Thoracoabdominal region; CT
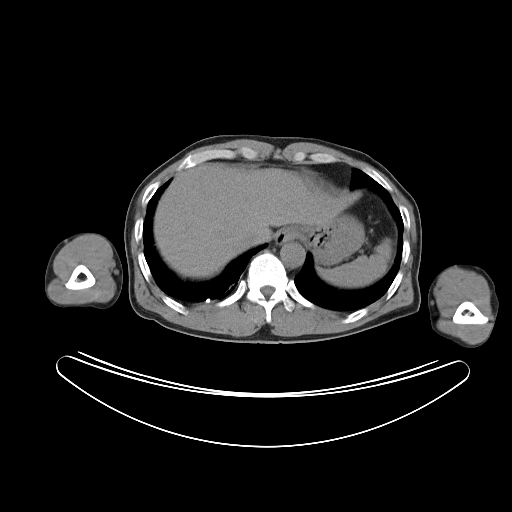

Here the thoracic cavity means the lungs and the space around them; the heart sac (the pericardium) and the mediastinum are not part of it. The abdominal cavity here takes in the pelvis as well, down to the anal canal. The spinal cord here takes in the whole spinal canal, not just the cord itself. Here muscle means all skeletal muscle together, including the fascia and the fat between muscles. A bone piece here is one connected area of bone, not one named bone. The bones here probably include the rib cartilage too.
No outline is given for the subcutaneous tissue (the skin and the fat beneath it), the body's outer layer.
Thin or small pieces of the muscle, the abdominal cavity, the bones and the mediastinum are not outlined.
The mediastinum appears in 2 outlined pieces: piece 1: 282,232 286,232 296,237 305,246 307,250 303,264 299,271 293,278 290,278 288,276 284,264 282,261 272,252 268,250 265,250 262,252 258,253 265,249 267,245 269,244 270,242 277,238 280,233; piece 2: 337,162 347,164 349,166 351,166 352,167 351,169 351,176 350,177 349,185 344,185 342,184 333,175 332,175 331,173 328,173 319,169 314,169 312,167 310,167 304,163 328,164 329,163 336,163. The abdominal cavity is outlined by 270,157 331,174 351,190 367,188 384,200 397,223 398,239 393,265 381,279 352,290 326,285 317,277 306,246 286,231 234,258 219,275 207,281 183,281 166,267 154,247 152,218 168,179 207,160. The muscle appears in 3 outlined pieces: piece 1: 236,139 251,139 252,140 266,142 273,145 275,147 279,147 280,148 283,148 287,145 295,142 310,142 311,143 315,143 316,144 333,148 355,159 366,162 383,173 407,199 413,209 413,214 415,219 415,230 416,231 416,242 413,251 413,261 411,268 411,282 413,288 413,301 409,305 396,308 384,314 382,314 376,318 372,319 359,326 344,331 340,331 334,333 302,334 297,336 281,336 280,335 276,335 270,331 270,327 267,324 262,326 254,333 246,336 233,336 229,334 214,333 208,331 197,330 196,329 188,328 179,324 168,321 158,313 148,310 141,306 137,302 134,292 134,265 133,264 133,259 131,254 131,245 130,244 130,241 131,240 131,231 133,225 133,216 135,212 136,202 140,193 144,187 146,186 154,177 160,173 165,168 182,158 188,152 202,146 210,145 211,144 216,144 217,143 223,143 227,141 235,140; inner edge: 243,146 257,151 257,160 271,157 291,161 298,151 307,155 329,153 340,163 354,168 373,168 391,186 389,193 395,204 402,204 408,211 409,229 404,229 402,236 408,240 410,251 407,261 399,265 403,274 400,283 388,299 382,295 367,306 365,315 348,323 341,320 350,311 319,305 310,308 296,301 291,311 281,301 276,303 268,323 264,307 244,295 221,307 216,305 217,300 184,303 187,314 163,301 165,293 152,276 149,282 145,279 138,261 143,240 136,241 134,226 146,213 141,203 146,188 156,181 161,185 165,182 190,154 207,149 237,150; piece 2: 85,234 93,234 100,236 110,245 113,253 113,258 117,267 118,287 115,290 114,295 112,298 107,302 88,302 80,304 58,303 50,297 47,290 48,287 47,282 48,270 54,260 55,256 63,246 74,238, around a hole outlined by 78,264 84,264 90,270 90,271 92,273 92,274 95,278 95,282 92,286 91,286 90,287 88,287 87,288 83,288 82,289 69,289 65,286 65,283 68,280 68,279 69,278 69,277 70,276 73,269; piece 3: 457,267 472,270 483,276 486,280 490,290 490,303 492,308 492,319 490,322 489,330 482,341 474,344 467,343 458,337 450,335 439,330 436,326 436,321 432,311 432,296 434,293 434,288 439,277 447,270; inner edge: 465,300 468,300 469,301 471,301 473,302 473,303 479,309 479,310 488,318 488,320 487,322 483,324 458,324 457,323 455,323 453,322 452,320 452,318 453,317 453,315 455,312 455,310 456,308 461,302. The right arm is outlined by 83,231 98,232 107,237 114,245 121,261 122,271 123,272 123,281 122,282 121,293 116,302 112,306 104,310 98,310 93,308 60,308 53,305 48,300 44,291 45,270 48,259 53,249 63,239 72,234. The torso is outlined by 240,133 324,139 368,154 394,175 416,201 421,219 422,247 418,274 421,301 417,312 346,337 312,343 261,344 229,343 193,337 145,319 132,309 128,298 124,222 135,189 151,171 189,144 210,136. The spinal cord is outlined by 264,286 271,286 272,287 273,287 274,288 274,290 273,291 273,292 268,297 266,297 261,292 261,291 260,290 260,289 262,287 263,287. The thoracic cavity appears in 2 outlined pieces: piece 1: 353,167 389,192 404,229 399,269 385,293 367,306 342,311 316,305 298,290 294,278 302,268 307,253 311,255 316,277 326,286 343,291 361,290 377,283 390,271 399,239 398,223 385,200 367,187 351,189; piece 2: 167,180 169,182 153,210 151,235 159,259 179,280 192,283 212,280 234,259 266,244 265,248 252,256 245,276 239,280 234,291 222,299 211,303 183,303 165,294 152,275 143,251 144,217 147,204. The left arm is outlined by 455,263 468,263 482,267 492,278 495,284 495,291 499,300 497,316 493,329 488,339 482,345 475,348 465,348 447,339 442,338 434,333 430,326 430,319 427,306 427,296 428,295 429,286 438,272 445,267. The bones appear in 14 outlined pieces: piece 1: 265,251 281,261 287,276 293,279 297,290 315,305 314,308 295,301 293,309 288,311 279,301 271,309 271,320 268,323 264,307 248,300 244,295 229,305 216,305 218,301 235,291 240,280 246,276 251,259 with a hole at 264,286 271,286 272,287 273,287 274,288 274,290 273,291 273,292 268,297 266,297 261,292 261,291 260,290 260,289 262,287 263,287; piece 2: 243,146 249,147 257,151 258,155 256,159 246,159 240,155 238,155 237,157 232,159 214,158 213,159 207,159 190,167 186,167 177,170 178,165 185,157 190,154 193,154 207,149 232,149 233,150 237,150; piece 3: 465,300 468,300 469,301 471,301 473,302 473,303 479,309 479,310 488,318 488,320 487,322 483,324 458,324 457,323 455,323 453,322 452,320 452,318 453,317 453,315 455,312 455,310 456,308 461,302; piece 4: 78,264 84,264 90,270 90,271 92,273 92,274 95,278 95,282 92,286 91,286 90,287 88,287 87,288 83,288 82,289 69,289 65,286 65,283 68,280 68,279 69,278 69,277 70,276 73,269; piece 5: 298,151 304,152 307,155 312,153 317,153 318,152 321,153 329,153 335,156 338,159 338,161 336,162 329,162 328,163 313,163 311,162 308,158 306,158 304,160 303,163 298,163 292,160 293,154 295,152; piece 6: 365,166 369,166 370,167 373,168 391,186 391,187 392,188 392,190 391,191 389,191 388,190 387,190 383,186 382,186 373,178 372,178 370,176 369,176 367,174 366,174 361,169 363,167 364,167; piece 7: 164,294 176,300 178,302 180,302 182,303 185,306 186,309 188,311 188,313 187,314 183,314 180,312 178,312 176,311 174,309 173,309 171,307 167,305 163,301 162,299 162,296; piece 8: 365,307 367,307 368,308 367,313 361,318 360,318 355,321 353,321 352,322 349,322 348,323 342,323 341,322 341,320 343,318 344,318 349,313 350,313 353,311 355,311 356,310 358,310 359,309 364,308; piece 9: 140,252 143,252 144,257 149,267 149,269 150,270 150,272 152,276 150,278 150,280 149,282 148,282 145,279 143,275 143,273 139,265 139,262 138,261 138,254; piece 10: 156,181 159,181 160,183 160,185 154,192 154,193 152,195 152,196 150,198 150,199 148,201 146,205 145,206 143,206 141,203 141,201 142,200 142,197 144,194 144,192 146,188 150,184; piece 11: 399,270 400,270 403,274 402,275 402,278 400,281 400,283 398,285 398,286 397,287 396,290 394,292 394,293 388,299 386,299 386,295 385,294 386,293 389,286 393,281 395,276 397,274 397,273; piece 12: 399,204 402,204 404,206 405,206 408,211 408,214 409,215 409,221 410,222 410,224 409,225 409,229 408,230 407,230 404,228 404,225 403,224 403,220 402,219 402,217 401,216 400,211 398,208 398,205; piece 13: 138,218 143,218 143,225 142,226 142,239 141,240 140,240 138,242 137,242 136,241 136,240 135,239 135,234 134,233 134,226 135,225 135,222 136,221 136,220; piece 14: 403,238 404,238 405,239 406,239 407,240 408,240 408,241 409,242 409,247 410,248 410,251 409,252 409,254 408,255 408,258 407,259 407,261 405,263 402,263 401,262 401,259 402,258 402,249 403,248.